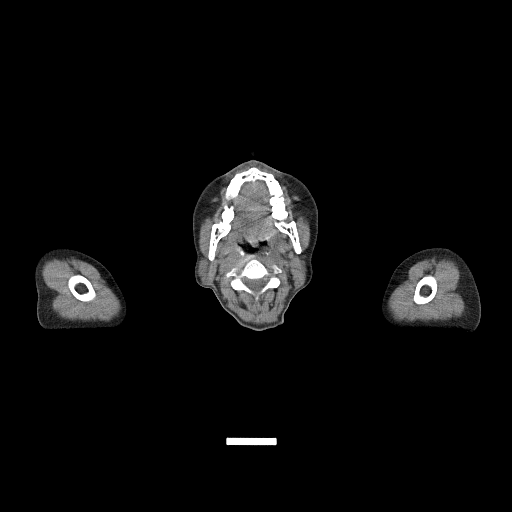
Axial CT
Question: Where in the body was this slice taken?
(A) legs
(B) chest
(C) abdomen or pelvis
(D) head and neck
Answer: (D) head and neck
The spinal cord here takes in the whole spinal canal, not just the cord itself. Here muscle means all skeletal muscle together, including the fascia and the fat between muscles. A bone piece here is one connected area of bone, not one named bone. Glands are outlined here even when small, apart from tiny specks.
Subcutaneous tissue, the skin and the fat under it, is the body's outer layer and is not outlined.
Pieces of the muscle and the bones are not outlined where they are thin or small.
Outlined structures:
parotid glands 1: 202 258; 205 258; 208 261; 208 267; 207 268; 207 276; 206 277; 206 281; 205 282; 205 283; 204 283; 201 280; 201 278; 200 277; 200 276; 199 275; 199 274; 198 273; 198 267; 199 266; 199 263; 200 262; 200 260
parotid glands 2: 305 256; 306 256; 305 257; 305 261; 306 262; 306 271; 304 269; 304 268; 302 266; 302 259
bones 1: 253 166; 271 173; 278 181; 287 213; 284 220; 295 222; 302 251; 297 254; 290 237; 275 225; 266 183; 256 179; 241 185; 233 200; 231 227; 218 241; 211 261; 208 252; 212 225; 222 219; 224 204; 228 202; 227 186; 236 173
bones 2: 248 254; 253 254; 270 271; 272 264; 281 269; 276 275; 279 279; 279 285; 267 289; 259 296; 257 301; 246 291; 234 289; 231 286; 233 277; 226 276; 226 273; 235 267; 237 268; 236 271; 239 272; 246 263; 246 255 with a hole at 261 278; 265 278; 265 279; 266 280; 266 282; 265 283; 265 284; 258 291; 254 291; 253 290; 252 290; 250 288; 249 288; 246 285; 246 284; 244 281; 244 280; 245 279; 250 279; 251 280; 254 280; 255 279; 260 279
bones 3: 75 274; 80 274; 81 275; 84 276; 91 283; 91 284; 92 285; 92 286; 95 291; 95 297; 92 300; 91 300; 90 301; 82 301; 81 300; 76 298; 73 295; 73 294; 69 289; 69 288; 68 287; 68 279; 72 275; 74 275
bones 4: 428 274; 432 275; 436 280; 436 282; 437 283; 437 289; 436 290; 435 295; 433 298; 428 302; 424 303; 423 304; 417 304; 413 300; 413 296; 414 295; 414 292; 415 291; 416 285; 418 281; 421 278; 422 278; 425 275; 427 275
spinal cord: 261 278; 265 278; 265 279; 266 280; 266 282; 265 283; 265 284; 258 291; 254 291; 253 290; 252 290; 250 288; 249 288; 246 285; 246 284; 244 281; 244 280; 245 279; 250 279; 251 280; 254 280; 255 279; 260 279
left arm: 438 246; 447 247; 457 252; 468 264; 475 279; 480 297; 481 317; 477 328; 471 333; 466 334; 460 330; 396 328; 388 324; 382 317; 380 311; 380 304; 382 296; 387 286; 389 279; 395 268; 405 258; 411 254; 425 248; 437 247
head and neck: 250 158; 255 158; 297 177; 309 189; 318 209; 318 233; 312 254; 312 278; 295 295; 289 304; 284 314; 283 323; 261 331; 241 326; 223 309; 212 290; 197 284; 194 277; 196 252; 193 243; 192 214; 196 201; 202 189; 213 178
submandibular glands 1: 284 241; 285 241; 289 245; 290 245; 290 248; 287 251; 284 251; 281 248; 281 244
submandibular glands 2: 222 247; 225 247; 228 250; 228 254; 225 257; 222 257; 221 256; 221 253; 220 252; 220 249
right arm: 60 247; 75 249; 93 257; 103 264; 111 273; 115 281; 121 289; 127 304; 127 313; 125 319; 119 326; 112 328; 95 328; 94 329; 44 329; 41 327; 36 315; 37 292; 34 279; 34 269; 36 262; 44 252; 53 248; 59 248
muscle 1: 247 166; 229 180; 221 219; 211 225; 207 252; 211 262; 219 241; 232 227; 234 200; 242 185; 256 180; 265 183; 274 225; 289 237; 297 255; 303 251; 296 222; 285 220; 288 213; 279 181; 258 167; 279 175; 301 197; 307 206; 310 227; 306 255; 301 259; 305 280; 289 294; 277 320; 262 324; 241 319; 220 292; 206 284; 209 261; 202 257; 199 244; 205 206; 229 175; inner edges: 248 254; 253 254; 270 271; 272 264; 281 269; 276 275; 279 279; 279 285; 267 289; 259 296; 257 301; 246 291; 234 289; 231 286; 233 277; 226 276; 226 273; 235 267; 237 268; 236 271; 239 272; 246 263; 246 255, then 222 247; 225 247; 228 250; 228 254; 225 257; 222 257; 221 256; 221 253; 220 252; 220 249, then 284 241; 285 241; 289 245; 290 245; 290 248; 287 251; 284 251; 281 248; 281 244
muscle 2: 440 255; 446 256; 454 260; 458 265; 460 271; 459 292; 465 304; 465 310; 462 316; 457 318; 451 318; 447 320; 429 320; 428 321; 421 320; 405 321; 395 319; 387 308; 387 302; 391 293; 402 281; 405 274; 413 264; 420 260; inner edge: 428 274; 432 275; 436 280; 436 282; 437 283; 437 289; 436 290; 435 295; 433 298; 428 302; 424 303; 423 304; 417 304; 413 300; 413 296; 414 295; 414 292; 415 291; 416 285; 418 281; 421 278; 422 278; 425 275; 427 275
muscle 3: 70 257; 74 257; 85 261; 98 270; 101 277; 105 280; 107 285; 115 293; 120 301; 121 310; 116 317; 109 321; 66 320; 59 317; 53 311; 51 305; 53 295; 50 292; 43 279; 41 273; 42 266; 46 260; 51 258; 63 259, around a hole outlined by 75 274; 80 274; 81 275; 84 276; 91 283; 91 284; 92 285; 92 286; 95 291; 95 297; 92 300; 91 300; 90 301; 82 301; 81 300; 76 298; 73 295; 73 294; 69 289; 69 288; 68 287; 68 279; 72 275; 74 275